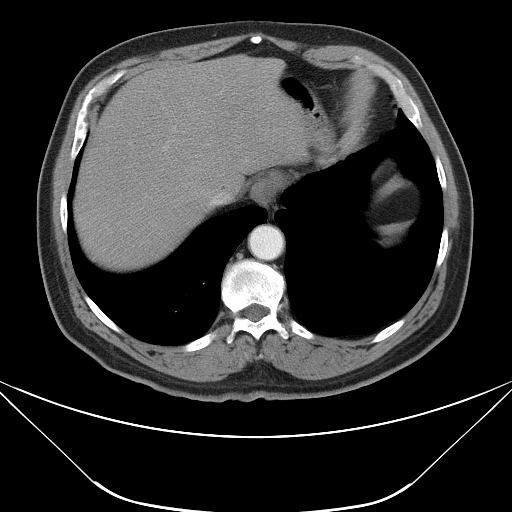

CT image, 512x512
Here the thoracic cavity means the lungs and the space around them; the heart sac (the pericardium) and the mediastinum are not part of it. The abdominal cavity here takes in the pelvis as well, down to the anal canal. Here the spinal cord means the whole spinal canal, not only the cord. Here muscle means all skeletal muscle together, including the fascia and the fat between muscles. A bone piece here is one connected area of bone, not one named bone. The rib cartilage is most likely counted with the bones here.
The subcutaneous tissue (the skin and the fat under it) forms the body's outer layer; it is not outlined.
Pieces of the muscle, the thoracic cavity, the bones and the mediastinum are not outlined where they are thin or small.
The thoracic cavity appears in 2 outlined pieces: piece 1: [[398,108],[427,144],[442,191],[443,226],[431,277],[414,305],[401,317],[375,334],[358,339],[346,339],[314,333],[293,317],[285,295],[286,238],[274,217],[275,212],[283,208],[280,198],[286,189],[306,176],[325,170],[377,143],[382,135],[398,125]], around a hole outlined by [[389,155],[395,156],[401,166],[401,171],[403,175],[413,180],[417,184],[421,191],[423,201],[417,218],[411,226],[409,234],[405,241],[401,245],[384,249],[376,244],[367,234],[364,233],[354,213],[353,208],[359,196],[364,191],[372,170],[380,160]]; piece 2: [[82,147],[71,200],[72,222],[81,253],[102,272],[142,272],[173,254],[211,218],[247,205],[266,210],[265,221],[246,234],[227,260],[220,281],[221,306],[215,322],[203,335],[179,345],[148,343],[124,331],[86,293],[74,270],[67,235],[67,193]]. The muscle is outlined by [[258,31],[274,37],[291,40],[309,45],[338,45],[341,44],[342,45],[359,46],[374,52],[399,69],[406,76],[418,94],[430,119],[436,128],[440,136],[441,141],[446,150],[452,167],[454,180],[458,192],[458,202],[459,203],[458,226],[455,233],[453,234],[452,247],[450,250],[450,254],[447,263],[447,272],[445,279],[444,291],[441,301],[437,309],[422,326],[375,360],[343,374],[323,379],[302,379],[298,378],[293,376],[288,372],[275,367],[269,362],[260,361],[259,362],[249,363],[240,371],[229,374],[226,377],[217,381],[208,381],[207,382],[191,381],[163,373],[138,361],[116,346],[108,342],[93,331],[86,328],[82,324],[80,320],[76,317],[73,310],[71,300],[69,297],[69,291],[67,286],[67,282],[62,271],[53,233],[53,227],[52,226],[52,175],[53,174],[53,169],[66,130],[69,116],[76,98],[85,85],[97,74],[105,70],[111,65],[130,57],[142,54],[153,53],[164,49],[179,47],[180,46],[204,42],[209,40],[214,40],[219,38],[234,36],[249,32],[257,32]] with a hole at [[254,35],[323,68],[362,69],[363,64],[350,61],[354,55],[384,66],[401,80],[417,106],[422,123],[419,132],[432,157],[440,159],[446,179],[442,204],[447,250],[419,299],[401,317],[404,323],[380,341],[371,342],[374,334],[346,339],[315,333],[312,339],[305,338],[287,324],[286,316],[293,316],[289,305],[278,312],[288,338],[268,329],[257,340],[239,330],[227,343],[234,315],[222,303],[208,331],[216,331],[212,341],[200,349],[183,351],[182,344],[158,345],[114,331],[84,298],[86,292],[74,270],[59,212],[61,195],[70,185],[74,164],[70,154],[84,97],[103,78],[127,70],[92,101],[85,119],[88,123],[104,96],[130,76],[152,67],[193,63]]. The mediastinum appears in 2 outlined pieces: piece 1: [[278,198],[282,208],[277,209],[274,212],[273,217],[275,223],[281,230],[285,238],[285,255],[283,262],[283,274],[270,264],[253,258],[239,259],[228,265],[225,269],[228,260],[247,234],[253,228],[266,221],[268,217],[268,212],[263,206],[268,206]]; piece 2: [[375,78],[380,78],[382,79],[389,87],[389,89],[398,107],[396,109],[396,123],[397,125],[394,128],[382,134],[379,137],[379,139],[377,142],[369,145],[369,143],[367,140],[367,133],[369,131],[369,129],[374,119],[374,98],[379,88],[379,83]]. The abdominal cavity appears in 2 outlined pieces: piece 1: [[244,40],[271,42],[319,67],[363,68],[378,77],[368,146],[306,175],[268,205],[242,205],[211,217],[173,253],[147,269],[114,274],[97,268],[78,243],[72,200],[88,123],[98,104],[111,89],[141,71],[193,63]]; piece 2: [[389,155],[395,156],[401,166],[401,171],[403,175],[413,180],[417,184],[421,191],[423,201],[417,218],[411,226],[409,234],[405,241],[401,245],[384,249],[376,244],[367,234],[364,233],[354,213],[353,208],[359,196],[364,191],[372,170],[380,160]]. The torso is outlined by [[248,19],[342,25],[375,35],[396,47],[428,85],[459,149],[471,186],[471,263],[455,326],[414,362],[375,383],[339,395],[212,403],[155,391],[107,370],[70,342],[54,319],[42,280],[36,243],[38,179],[60,106],[77,72],[98,53],[138,35]]. The spinal cord is outlined by [[251,304],[258,304],[259,305],[261,305],[262,306],[265,307],[267,309],[267,313],[265,315],[264,315],[261,318],[260,318],[258,320],[257,320],[256,321],[253,321],[252,320],[251,320],[250,319],[245,317],[243,315],[243,310],[245,308],[246,308]]. The bones appear in 10 outlined pieces: piece 1: [[243,259],[268,264],[283,275],[286,287],[284,295],[288,307],[278,312],[278,318],[285,325],[288,338],[284,339],[275,330],[268,329],[257,340],[250,333],[239,330],[232,342],[227,343],[226,337],[232,328],[234,315],[222,303],[221,281],[226,268]]; inner edge: [[251,304],[258,304],[259,305],[261,305],[262,306],[265,307],[267,309],[267,313],[265,315],[264,315],[261,318],[260,318],[258,320],[257,320],[256,321],[253,321],[252,320],[251,320],[250,319],[245,317],[243,315],[243,310],[245,308],[246,308]]; piece 2: [[354,55],[359,55],[371,62],[384,66],[401,80],[405,91],[410,96],[418,108],[422,123],[422,128],[420,131],[408,119],[402,109],[398,106],[389,85],[382,78],[375,75],[371,71],[364,69],[365,66],[363,64],[355,64],[350,61],[350,58]]; piece 3: [[121,69],[126,69],[127,71],[115,83],[99,96],[96,97],[90,104],[88,108],[88,113],[85,119],[87,121],[87,131],[85,139],[74,160],[72,160],[70,157],[70,154],[74,138],[77,114],[81,107],[84,97],[88,91],[100,80],[113,72]]; piece 4: [[85,294],[86,294],[97,305],[97,306],[112,321],[113,321],[123,331],[121,333],[118,333],[117,332],[114,331],[111,328],[110,328],[107,325],[106,325],[92,311],[92,310],[89,307],[88,304],[86,302],[86,301],[84,298],[84,295]]; piece 5: [[213,331],[216,331],[216,336],[208,345],[207,345],[200,349],[197,349],[196,350],[193,350],[192,351],[183,351],[182,350],[182,347],[183,346],[183,345],[184,345],[191,341],[193,341],[194,340],[203,336],[206,333],[207,333],[208,332],[212,332]]; piece 6: [[400,318],[404,318],[405,320],[404,321],[404,323],[395,332],[394,332],[386,338],[380,341],[378,341],[377,342],[373,342],[372,343],[371,342],[371,340],[380,330],[383,329],[385,327],[388,326],[390,324],[393,323],[395,321],[398,320]]; piece 7: [[286,316],[290,316],[292,317],[299,324],[303,326],[309,331],[312,332],[314,334],[314,337],[312,339],[308,339],[302,336],[300,336],[294,333],[292,331],[291,331],[291,329],[288,326],[287,324],[287,319],[286,318]]; piece 8: [[444,226],[446,226],[447,227],[447,231],[448,232],[447,250],[441,264],[438,268],[435,268],[435,264],[436,263],[436,260],[437,259],[437,256],[438,255],[438,252],[439,251],[439,246],[440,245],[440,241],[441,240],[442,231],[443,230],[443,227]]; piece 9: [[63,193],[66,193],[66,202],[67,203],[67,231],[66,232],[66,233],[65,233],[63,231],[63,230],[62,229],[62,226],[61,225],[61,220],[60,219],[60,213],[59,212],[59,209],[60,208],[60,199],[61,198],[61,195]]; piece 10: [[435,155],[438,155],[444,170],[445,178],[446,179],[446,188],[444,190],[442,190],[440,185],[440,182],[439,181],[439,178],[437,173],[437,169],[436,168],[436,165],[434,160],[434,157]].